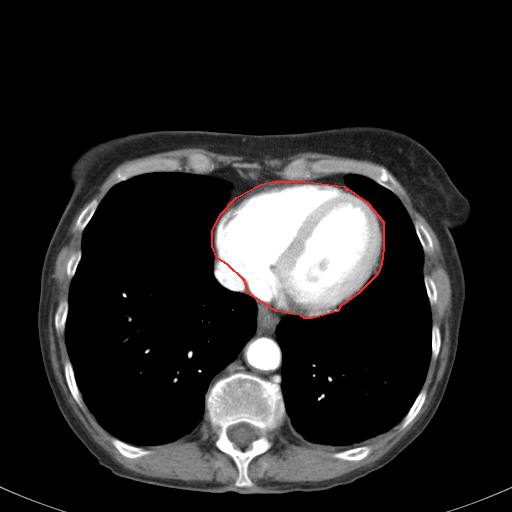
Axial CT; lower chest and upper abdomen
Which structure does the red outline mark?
red: pericardium.
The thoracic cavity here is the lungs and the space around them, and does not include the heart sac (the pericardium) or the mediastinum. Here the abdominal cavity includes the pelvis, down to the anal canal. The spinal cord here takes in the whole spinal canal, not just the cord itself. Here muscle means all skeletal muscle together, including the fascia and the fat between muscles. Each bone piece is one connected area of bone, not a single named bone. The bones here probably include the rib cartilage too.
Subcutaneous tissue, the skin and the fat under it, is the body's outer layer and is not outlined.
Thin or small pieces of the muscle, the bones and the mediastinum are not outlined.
Outlined structures:
pericardium: 272 181; 305 181; 344 186; 367 202; 383 221; 383 247; 381 264; 377 274; 358 293; 340 306; 337 311; 312 318; 304 318; 300 315; 276 311; 248 293; 244 280; 227 264; 217 258; 212 246; 212 231; 220 214; 236 197; 260 184
bones 1: 237 372; 248 373; 272 383; 278 382; 285 409; 282 421; 266 434; 271 446; 255 456; 247 466; 247 475; 252 482; 249 487; 235 485; 239 475; 238 468; 232 457; 215 445; 218 435; 206 417; 205 408; 205 398; 209 387; 220 378, around a hole outlined by 242 422; 248 423; 254 426; 258 430; 258 436; 254 440; 253 440; 249 445; 245 447; 239 447; 238 446; 236 446; 235 444; 229 438; 229 436; 228 435; 228 428; 231 425; 234 425; 235 424; 241 423
bones 2: 298 158; 303 158; 308 161; 314 161; 320 159; 351 161; 357 163; 365 163; 378 167; 383 167; 395 179; 404 192; 397 195; 393 191; 378 183; 370 177; 363 174; 354 172; 333 172; 305 179; 287 179; 282 176; 283 168; 289 162
bones 3: 158 158; 171 158; 172 159; 177 159; 179 160; 182 166; 182 170; 181 171; 149 171; 148 172; 144 172; 143 173; 134 175; 125 180; 122 180; 116 183; 115 182; 115 173; 116 170; 118 168; 128 164; 131 164; 144 160; 157 159
bones 4: 192 153; 201 153; 207 156; 211 160; 211 162; 213 164; 214 166; 214 168; 211 171; 207 173; 204 173; 203 174; 202 173; 196 173; 195 172; 193 172; 192 170; 190 169; 187 166; 186 164; 186 159; 187 157; 190 154
bones 5: 112 437; 115 437; 119 440; 127 444; 129 444; 133 446; 142 447; 145 449; 150 450; 151 451; 151 453; 144 455; 143 456; 134 457; 133 458; 132 457; 127 457; 126 456; 124 456; 122 454; 121 454; 113 445; 111 441; 111 438
bones 6: 363 445; 369 445; 371 446; 371 450; 370 452; 362 459; 359 460; 346 460; 340 458; 335 458; 332 456; 333 453; 339 451; 342 451; 343 450; 346 450; 347 449; 350 449; 351 448; 359 447
bones 7: 67 360; 69 360; 71 363; 72 369; 73 370; 73 374; 74 375; 74 378; 75 379; 75 382; 80 392; 80 394; 82 398; 82 404; 81 406; 80 406; 74 399; 68 387; 68 385; 66 381; 66 378; 64 374; 64 364
bones 8: 422 389; 424 389; 426 391; 426 396; 425 397; 425 399; 424 400; 424 402; 423 404; 421 406; 417 414; 410 422; 410 423; 407 426; 401 429; 401 422; 403 418; 406 415; 406 414; 410 409; 411 406; 415 401; 417 396
bones 9: 414 221; 419 221; 425 227; 425 228; 429 233; 430 235; 430 237; 433 243; 433 251; 431 253; 425 253; 424 252; 423 247; 420 242; 420 240; 417 235; 417 233; 416 232; 416 230; 414 226; 414 223; 413 222
bones 10: 93 199; 96 199; 99 202; 98 203; 98 205; 97 206; 96 209; 94 211; 92 216; 90 218; 90 219; 84 227; 83 230; 82 231; 80 231; 76 228; 76 221; 77 220; 79 215; 81 213; 81 212
bones 11: 434 324; 436 324; 439 327; 439 329; 440 330; 440 336; 441 337; 441 343; 440 344; 439 351; 438 352; 437 357; 435 359; 433 359; 431 357; 431 354; 432 353; 432 349; 431 348; 431 338; 432 337; 432 325; 433 325
muscle 1: 195 147; 219 154; 242 156; 248 162; 262 162; 267 158; 285 158; 300 152; 317 152; 366 160; 383 166; 351 160; 331 158; 308 160; 298 157; 289 161; 282 168; 280 175; 268 169; 237 168; 230 165; 214 169; 212 160; 201 152; 192 152; 186 157; 185 164; 191 171; 183 171; 182 163; 177 158; 144 159; 118 167; 114 173; 115 183; 100 201; 93 198; 75 221; 75 228; 82 232; 81 246; 69 256; 66 263; 66 275; 70 280; 68 299; 62 299; 57 304; 53 315; 56 332; 58 334; 64 332; 69 359; 63 364; 63 374; 73 399; 80 407; 83 401; 97 422; 113 436; 110 441; 118 452; 124 457; 133 459; 152 453; 150 449; 143 447; 162 445; 188 436; 206 418; 217 435; 214 445; 221 452; 229 455; 237 468; 238 475; 234 485; 227 482; 186 481; 148 476; 118 463; 91 437; 68 404; 55 376; 49 353; 48 315; 51 306; 52 285; 50 275; 59 248; 67 238; 67 232; 77 212; 93 196; 108 175; 125 161; inner edge: 203 423; 205 423; 205 424; 206 425; 205 426; 205 429; 207 431; 207 436; 205 438; 203 438; 201 436; 201 431; 202 430; 201 429; 201 425
muscle 2: 400 184; 435 233; 450 279; 449 355; 431 403; 414 427; 370 465; 322 481; 263 480; 252 486; 248 466; 272 446; 267 434; 282 422; 310 446; 347 448; 333 452; 333 458; 359 461; 372 450; 366 443; 388 435; 400 422; 401 430; 407 427; 425 402; 427 391; 422 387; 442 343; 440 327; 432 324; 431 315; 438 298; 436 284; 423 271; 424 253; 431 254; 434 243; 398 196; 405 192
thoracic cavity 1: 182 171; 207 175; 230 185; 227 199; 211 231; 213 275; 224 288; 254 300; 255 330; 235 358; 210 381; 204 398; 205 418; 194 431; 174 441; 138 446; 106 430; 83 400; 65 339; 70 284; 82 256; 83 231; 110 188; 144 173
thoracic cavity 2: 348 173; 368 177; 393 192; 413 223; 423 250; 431 353; 421 389; 391 432; 350 448; 313 446; 290 432; 283 421; 286 414; 281 390; 283 354; 276 329; 288 315; 310 320; 337 312; 382 267; 387 220; 351 191; 346 181
mediastinum 1: 252 297; 258 302; 268 307; 271 307; 276 312; 287 314; 280 320; 275 329; 276 340; 282 354; 280 385; 278 381; 272 382; 243 371; 237 371; 222 376; 210 385; 213 378; 236 358; 245 344; 255 333; 257 305; 255 300
mediastinum 2: 227 166; 236 168; 236 172; 239 175; 244 179; 252 181; 258 178; 259 170; 268 170; 287 180; 305 180; 333 173; 347 173; 345 181; 348 187; 316 181; 272 180; 260 183; 236 196; 220 213; 228 199; 231 185; 223 179; 204 174
mediastinum 3: 215 255; 216 256; 216 258; 219 261; 227 265; 232 271; 236 273; 243 280; 243 282; 246 288; 246 292; 250 295; 248 295; 239 291; 233 291; 232 290; 230 290; 224 287; 220 283; 219 283; 214 275; 214 258; 215 257
abdominal cavity: 238 169; 243 169; 244 170; 246 170; 247 171; 248 171; 249 170; 256 170; 257 171; 258 171; 258 176; 257 177; 257 178; 255 180; 252 180; 250 178; 244 178; 240 174; 239 174; 237 172; 237 170
torso: 359 124; 392 128; 420 142; 472 208; 467 225; 451 232; 465 278; 455 360; 443 397; 423 431; 382 467; 316 491; 194 491; 121 477; 101 465; 56 403; 38 337; 42 264; 71 193; 66 181; 70 163; 89 146; 132 132; 276 134
spinal cord: 242 422; 248 423; 254 426; 258 430; 258 436; 254 440; 253 440; 249 445; 245 447; 239 447; 238 446; 236 446; 235 444; 229 438; 229 436; 228 435; 228 428; 231 425; 234 425; 235 424; 241 423